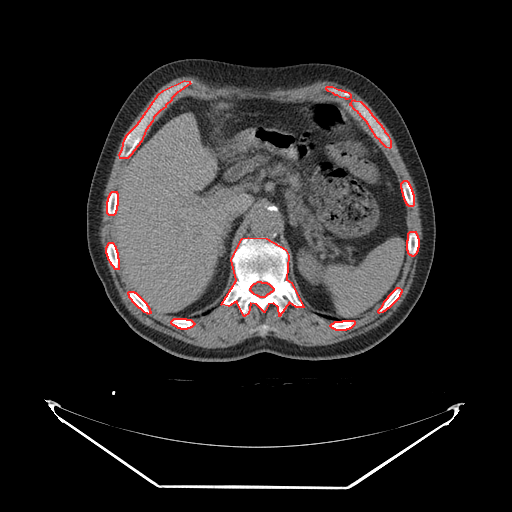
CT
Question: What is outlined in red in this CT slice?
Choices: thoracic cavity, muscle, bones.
Answer: red: bones.
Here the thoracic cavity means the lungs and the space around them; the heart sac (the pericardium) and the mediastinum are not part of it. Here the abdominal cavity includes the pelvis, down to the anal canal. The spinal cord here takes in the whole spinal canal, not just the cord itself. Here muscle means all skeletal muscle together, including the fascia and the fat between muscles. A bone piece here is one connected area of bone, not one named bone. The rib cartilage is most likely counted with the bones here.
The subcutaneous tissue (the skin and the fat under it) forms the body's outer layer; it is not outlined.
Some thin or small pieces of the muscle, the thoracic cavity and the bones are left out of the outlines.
Outlines (x, y in pixels):
bones 1: (248, 237) (266, 238) (285, 249) (288, 255) (286, 279) (291, 282) (303, 307) (296, 307) (289, 302) (279, 316) (278, 307) (273, 303) (268, 304) (264, 312) (256, 304) (250, 303) (248, 313) (244, 316) (236, 301) (228, 306) (221, 304) (236, 280) (231, 259) (242, 238), around a hole outlined by (258, 281) (260, 281) (261, 282) (266, 282) (267, 283) (268, 283) (273, 288) (273, 290) (271, 292) (270, 292) (268, 294) (267, 294) (264, 297) (260, 297) (259, 296) (258, 296) (257, 295) (254, 294) (250, 290) (250, 288) (251, 287) (251, 286) (254, 283) (255, 283)
bones 2: (184, 80) (189, 81) (190, 83) (176, 93) (171, 98) (171, 100) (165, 105) (165, 107) (160, 110) (153, 117) (152, 121) (145, 130) (141, 141) (130, 155) (127, 158) (120, 158) (119, 154) (122, 149) (124, 139) (127, 134) (137, 124) (158, 94) (163, 90)
bones 3: (353, 99) (354, 100) (360, 101) (369, 110) (369, 111) (383, 128) (384, 131) (387, 134) (390, 140) (390, 147) (389, 148) (386, 147) (380, 141) (380, 140) (376, 137) (366, 121) (360, 115) (360, 114) (358, 113) (358, 112) (354, 109) (351, 105) (350, 105) (350, 103)
bones 4: (410, 231) (415, 231) (415, 232) (416, 233) (416, 234) (417, 235) (417, 237) (418, 238) (418, 247) (417, 248) (417, 251) (416, 252) (416, 253) (413, 256) (412, 256) (411, 255) (410, 255) (408, 253) (408, 251) (407, 250) (407, 240) (408, 239) (408, 233)
bones 5: (109, 242) (112, 242) (115, 246) (115, 248) (116, 249) (116, 251) (117, 252) (117, 257) (118, 258) (118, 269) (115, 269) (114, 268) (114, 267) (111, 264) (111, 263) (108, 259) (108, 257) (107, 256) (107, 254) (106, 253) (106, 247)
bones 6: (397, 287) (398, 287) (401, 289) (401, 292) (400, 293) (400, 294) (399, 295) (398, 298) (388, 308) (387, 308) (384, 311) (383, 311) (382, 312) (379, 313) (378, 312) (378, 310) (382, 306) (382, 305) (383, 304) (384, 301) (388, 297) (388, 296)
bones 7: (404, 180) (406, 180) (408, 182) (408, 183) (411, 188) (411, 190) (412, 191) (412, 193) (413, 194) (413, 205) (412, 206) (409, 206) (408, 205) (407, 205) (407, 204) (404, 199) (404, 197) (403, 196) (403, 193) (402, 192) (402, 189) (401, 188) (401, 183)
bones 8: (129, 291) (133, 291) (134, 292) (135, 292) (146, 303) (146, 304) (148, 306) (148, 307) (149, 308) (149, 310) (150, 311) (150, 313) (149, 313) (148, 314) (147, 313) (144, 312) (140, 308) (139, 308) (132, 301) (132, 300) (129, 297) (129, 295) (128, 294) (128, 292)
bones 9: (112, 191) (116, 191) (116, 192) (117, 193) (117, 205) (116, 206) (116, 210) (115, 211) (115, 213) (113, 215) (109, 215) (107, 213) (107, 201) (108, 200) (108, 197) (109, 196) (109, 195) (110, 194) (110, 193)
bones 10: (174, 318) (185, 318) (186, 319) (190, 319) (194, 323) (194, 324) (191, 327) (190, 327) (189, 328) (187, 328) (186, 329) (181, 329) (180, 328) (178, 328) (176, 326) (175, 326) (174, 325) (173, 325) (171, 323) (171, 321)
bones 11: (343, 320) (353, 320) (354, 321) (354, 324) (350, 328) (349, 328) (348, 329) (346, 329) (345, 330) (336, 330) (335, 329) (334, 329) (333, 328) (332, 328) (330, 326) (330, 325) (332, 323) (333, 323) (335, 321) (342, 321)
bones 12: (327, 86) (332, 86) (338, 89) (340, 89) (341, 90) (343, 90) (344, 91) (346, 91) (348, 92) (350, 94) (350, 98) (348, 99) (346, 99) (345, 98) (340, 97) (337, 95) (335, 95) (333, 93) (328, 91) (326, 89) (326, 87)
spinal cord: (258, 281) (260, 281) (261, 282) (266, 282) (267, 283) (268, 283) (273, 288) (273, 290) (271, 292) (270, 292) (268, 294) (267, 294) (264, 297) (260, 297) (259, 296) (258, 296) (257, 295) (254, 294) (250, 290) (250, 288) (251, 287) (251, 286) (254, 283) (255, 283)
abdominal cavity: (182, 97) (329, 100) (345, 108) (387, 157) (406, 204) (407, 254) (401, 277) (383, 302) (355, 319) (314, 311) (288, 273) (280, 215) (264, 202) (238, 233) (230, 259) (235, 277) (212, 308) (190, 318) (164, 315) (132, 290) (119, 267) (112, 232) (120, 174) (153, 122)
thoracic cavity 1: (316, 312) (317, 313) (319, 313) (322, 315) (324, 315) (325, 316) (327, 316) (328, 317) (330, 317) (331, 318) (333, 318) (334, 319) (339, 319) (340, 320) (342, 320) (334, 320) (331, 318) (327, 318) (324, 316) (322, 316) (321, 315) (320, 315) (319, 314) (316, 313)
thoracic cavity 2: (209, 310) (210, 310) (207, 313) (206, 313) (205, 314) (201, 314) (198, 316) (196, 316) (195, 317) (192, 317) (194, 317) (195, 316) (197, 316) (200, 314) (202, 314) (203, 313) (204, 313) (205, 312) (206, 312)
thoracic cavity 3: (223, 298) (223, 299) (222, 300) (221, 301) (221, 302) (220, 303) (219, 303) (220, 302) (220, 301) (221, 300) (222, 299)
muscle 1: (182, 76) (194, 76) (215, 84) (236, 86) (237, 87) (258, 88) (259, 89) (274, 89) (277, 87) (289, 87) (290, 86) (309, 83) (318, 80) (333, 81) (344, 86) (346, 86) (354, 91) (373, 109) (390, 131) (393, 138) (396, 142) (396, 145) (400, 153) (403, 156) (404, 160) (415, 181) (417, 194) (421, 208) (423, 227) (424, 228) (419, 260) (416, 267) (413, 281) (403, 301) (397, 309) (386, 320) (378, 326) (362, 334) (356, 335) (348, 339) (345, 339) (327, 345) (301, 346) (289, 342) (284, 339) (281, 339) (273, 336) (265, 336) (264, 337) (262, 336) (255, 336) (254, 337) (247, 338) (240, 343) (228, 347) (222, 347) (221, 348) (205, 348) (184, 342) (179, 339) (177, 339) (167, 334) (153, 329) (140, 322) (130, 313) (122, 302) (118, 291) (113, 282) (111, 274) (106, 263) (106, 260) (104, 257) (103, 249) (100, 242) (100, 235) (99, 233) (100, 232) (100, 226) (101, 225) (101, 207) (102, 206) (102, 200) (104, 195) (105, 184) (119, 143) (121, 141) (124, 133) (127, 130) (131, 123) (143, 109) (155, 92) (161, 86) (177, 77) (181, 77); inner edges: (184, 80) (190, 83) (166, 108) (182, 97) (329, 100) (371, 136) (399, 182) (411, 188) (407, 231) (418, 238) (396, 285) (401, 292) (388, 308) (379, 313) (382, 302) (350, 328) (336, 330) (288, 273) (303, 307) (289, 302) (281, 316) (273, 303) (264, 312) (250, 303) (245, 316) (236, 301) (219, 303) (181, 329) (172, 316) (151, 308) (148, 314) (132, 301) (132, 288) (106, 253) (114, 242) (107, 201) (128, 159) (119, 156) (127, 134) (158, 94), then (353, 99) (354, 100) (360, 101) (369, 110) (369, 111) (383, 128) (384, 131) (387, 134) (390, 140) (390, 147) (389, 148) (386, 147) (380, 141) (380, 140) (376, 137) (366, 121) (360, 115) (360, 114) (358, 113) (358, 112) (354, 109) (351, 105) (350, 105) (350, 103), then (327, 86) (332, 86) (338, 89) (340, 89) (341, 90) (343, 90) (344, 91) (346, 91) (348, 92) (350, 94) (350, 98) (348, 99) (346, 99) (345, 98) (340, 97) (337, 95) (335, 95) (333, 93) (328, 91) (326, 89) (326, 87), then (263, 324) (265, 324) (266, 325) (267, 325) (268, 326) (268, 329) (267, 330) (267, 331) (266, 332) (266, 333) (264, 335) (261, 335) (261, 334) (260, 333) (261, 332) (261, 329) (260, 328) (261, 327) (261, 326)
muscle 2: (164, 108) (165, 108) (158, 115) (158, 116) (153, 121) (153, 119) (154, 118) (154, 117) (160, 111) (161, 111)
torso: (184, 58) (253, 66) (336, 64) (370, 79) (394, 103) (427, 175) (435, 213) (435, 250) (419, 299) (382, 341) (359, 354) (335, 359) (294, 359) (260, 352) (233, 361) (196, 361) (144, 339) (115, 310) (87, 247) (86, 203) (91, 179) (109, 128) (132, 89) (160, 65)
mediastinum: (259, 203) (264, 203) (269, 206) (271, 206) (279, 215) (280, 218) (280, 224) (282, 228) (282, 234) (287, 246) (287, 251) (279, 242) (273, 240) (270, 240) (266, 237) (260, 237) (259, 236) (242, 237) (239, 241) (237, 247) (237, 238) (239, 235) (239, 233) (251, 212)